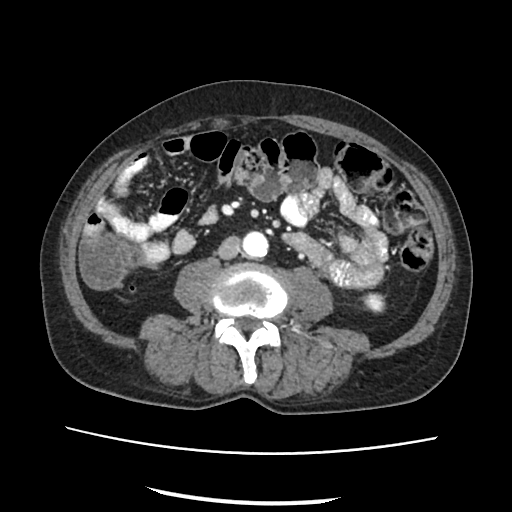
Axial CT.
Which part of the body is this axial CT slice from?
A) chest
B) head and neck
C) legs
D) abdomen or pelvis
D) abdomen or pelvis
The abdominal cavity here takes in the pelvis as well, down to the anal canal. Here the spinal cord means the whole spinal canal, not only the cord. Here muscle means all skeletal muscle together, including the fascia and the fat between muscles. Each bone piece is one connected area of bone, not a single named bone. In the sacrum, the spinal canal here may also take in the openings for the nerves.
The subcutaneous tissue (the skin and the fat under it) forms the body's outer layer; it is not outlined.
bones: 248,384 257,378 256,349 281,345 279,328 288,327 328,348 332,345 303,332 292,318 289,324 277,326 273,320 289,298 279,274 263,265 239,263 224,269 212,284 211,300 220,317 211,323 214,337 237,350; inner edge: 244,333 249,333 250,332 251,332 257,327 259,327 260,326 261,326 260,321 258,319 257,319 254,317 252,317 251,316 243,316 242,317 239,317 238,318 237,318 236,319 236,323 234,325 237,328 240,329
muscle: 270,400 281,399 296,394 306,398 310,397 312,398 320,397 321,398 326,396 348,379 354,368 359,366 363,361 375,358 383,358 402,352 410,348 413,345 423,341 434,331 438,324 443,310 449,300 452,286 455,280 454,273 456,269 456,249 454,244 453,232 440,194 433,186 429,178 424,173 420,171 414,165 409,163 392,149 384,145 375,138 353,127 311,115 303,114 273,115 271,114 259,116 258,115 228,114 219,116 210,116 203,119 189,121 172,128 164,129 155,134 146,136 132,146 124,148 116,152 103,162 99,167 95,169 82,185 61,228 61,236 59,240 59,269 61,272 62,283 66,297 72,307 76,318 86,329 99,335 104,342 122,349 127,349 139,357 142,360 144,369 148,375 162,388 163,387 172,392 175,391 183,394 190,393 192,391 195,391 198,388 200,388 205,392 214,395 223,395 239,389 253,389 with a hole at 248,384 279,328 332,347 273,322 289,298 278,269 309,267 333,298 319,323 377,345 415,323 437,274 429,217 393,164 275,119 141,151 76,244 93,313 134,337 151,314 186,315 179,271 217,258 213,335
abdominal cavity: 377,345 419,317 438,253 421,199 372,149 275,119 159,141 116,175 83,224 78,282 93,313 118,333 136,337 154,313 186,315 172,295 177,275 213,256 223,268 309,267 333,298 332,314 319,323 360,330
spinal cord: 244,333 249,333 250,332 251,332 257,327 259,327 260,326 261,326 260,321 258,319 257,319 254,317 252,317 251,316 243,316 242,317 239,317 238,318 237,318 236,319 236,323 234,325 237,328 240,329
torso: 284,415 400,405 438,385 455,364 465,337 473,285 469,237 439,166 415,141 368,106 304,84 257,79 202,84 152,105 113,130 66,183 47,221 39,252 47,337 60,366 78,382 103,393 189,410 246,397